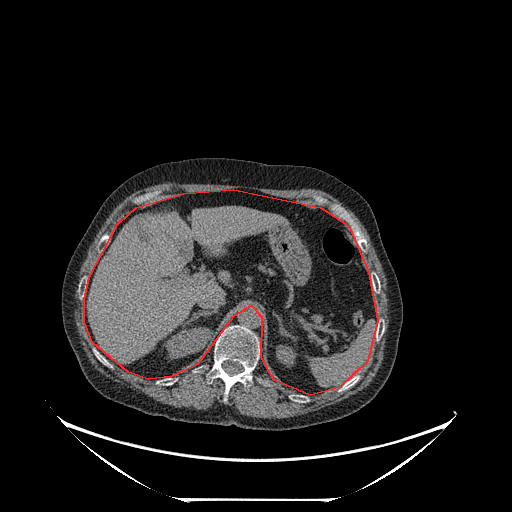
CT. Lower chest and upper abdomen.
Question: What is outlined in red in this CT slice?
Answer: red: abdominal cavity.
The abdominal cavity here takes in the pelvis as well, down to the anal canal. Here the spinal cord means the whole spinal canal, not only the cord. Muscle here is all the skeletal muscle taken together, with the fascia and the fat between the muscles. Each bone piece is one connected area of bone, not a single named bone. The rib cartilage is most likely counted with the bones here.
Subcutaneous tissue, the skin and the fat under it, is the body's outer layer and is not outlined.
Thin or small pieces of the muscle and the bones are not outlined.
{"abdominal_cavity":[[[233,189],[320,207],[348,225],[368,272],[377,320],[367,361],[339,387],[310,395],[274,380],[261,357],[262,317],[251,305],[233,316],[197,364],[172,376],[148,379],[128,372],[92,342],[84,321],[84,299],[89,277],[118,223],[136,207],[183,193]]],"bones":[{"outer":[[231,324],[243,325],[257,334],[261,355],[253,374],[269,381],[271,385],[264,386],[255,380],[249,389],[245,390],[241,382],[236,382],[230,388],[225,403],[223,401],[225,390],[223,380],[218,377],[209,384],[206,374],[213,362],[214,343],[219,333]],"hole":[[225,361],[231,361],[232,362],[237,362],[239,364],[240,364],[242,366],[242,368],[243,369],[240,372],[239,372],[238,373],[236,373],[233,375],[230,375],[229,374],[228,374],[224,370],[224,369],[222,366],[222,364],[223,363],[223,362],[224,362]]},[[314,195],[319,195],[328,199],[333,203],[337,203],[341,205],[351,214],[351,216],[359,226],[363,236],[367,241],[368,244],[367,252],[363,253],[360,248],[358,247],[349,225],[345,221],[334,216],[325,205],[319,205],[316,203],[313,198]],[[155,190],[160,190],[161,192],[158,195],[153,197],[151,199],[147,201],[145,201],[143,203],[141,203],[138,205],[136,205],[132,202],[132,200],[136,196],[138,196],[141,194],[143,194],[147,192],[151,192]],[[85,274],[88,276],[88,282],[87,283],[87,288],[86,289],[86,292],[85,293],[85,296],[84,297],[83,300],[80,300],[79,299],[79,294],[77,291],[77,289],[78,288],[78,283],[79,282],[79,280],[80,279],[80,278],[83,275],[84,275]],[[379,316],[381,316],[383,317],[385,321],[385,324],[386,325],[386,327],[385,328],[385,331],[383,335],[381,337],[380,340],[378,342],[376,342],[375,340],[375,334],[376,333],[376,327],[377,326],[377,321],[378,320],[378,317]],[[372,270],[375,271],[375,272],[377,274],[377,275],[380,280],[380,284],[381,285],[381,290],[380,291],[380,292],[378,294],[376,294],[373,291],[373,290],[372,289],[372,284],[371,283],[371,280],[370,279],[370,276],[369,275],[369,273]],[[105,233],[108,233],[111,236],[111,237],[110,238],[110,241],[109,242],[109,243],[107,245],[107,246],[105,248],[105,249],[100,255],[98,253],[98,252],[96,249],[96,247],[97,246],[97,244],[98,243],[100,238],[102,236],[102,235]],[[356,374],[359,374],[361,377],[360,378],[360,379],[352,387],[351,387],[350,388],[349,388],[348,389],[347,389],[346,390],[345,390],[340,393],[337,391],[337,389],[338,389],[345,382],[346,382],[348,380],[349,380],[353,376],[354,376]],[[292,393],[299,393],[300,394],[305,394],[306,395],[309,395],[309,396],[310,397],[311,400],[309,402],[306,402],[305,403],[300,403],[299,402],[295,402],[294,401],[292,401],[290,399],[289,399],[288,398],[288,395],[289,394],[291,394]],[[164,377],[178,377],[178,380],[175,383],[174,383],[172,385],[171,385],[170,386],[165,386],[164,385],[159,385],[158,384],[156,384],[155,383],[155,380],[156,380],[157,379],[160,379],[161,378],[163,378]],[[94,346],[97,349],[97,350],[110,363],[111,363],[113,365],[113,369],[111,369],[110,368],[109,368],[108,367],[107,367],[106,366],[105,366],[102,363],[101,363],[98,360],[98,359],[94,355],[94,354],[92,351],[92,347],[93,347]]],"spinal_cord":[[[225,361],[231,361],[232,362],[237,362],[239,364],[240,364],[242,366],[242,368],[243,369],[240,372],[239,372],[238,373],[236,373],[233,375],[230,375],[229,374],[228,374],[224,370],[224,369],[222,366],[222,364],[223,363],[223,362],[224,362]]],"mediastinum":[[[245,306],[251,306],[255,308],[255,309],[259,312],[259,314],[261,317],[261,331],[259,333],[257,333],[249,327],[243,324],[233,323],[232,322],[232,320],[234,316],[235,316],[236,314],[237,314],[238,312],[239,312],[240,310],[241,310],[242,308]]],"torso":[[[198,157],[226,157],[314,167],[338,178],[369,203],[398,280],[403,321],[391,373],[376,396],[359,410],[336,420],[287,430],[192,423],[147,414],[110,400],[95,390],[83,375],[64,332],[60,303],[63,277],[73,251],[103,201],[123,181],[160,163]]],"muscle":[{"outer":[[165,182],[246,185],[247,186],[256,186],[257,187],[270,188],[271,189],[312,188],[313,189],[318,189],[330,194],[335,198],[338,199],[346,207],[353,211],[358,217],[369,235],[372,245],[375,249],[378,259],[380,261],[382,268],[384,271],[387,285],[388,286],[388,310],[389,311],[388,315],[389,316],[389,323],[387,329],[386,342],[384,347],[384,354],[381,365],[370,383],[363,389],[354,394],[352,394],[347,398],[345,398],[339,402],[325,406],[320,409],[311,411],[305,414],[296,415],[286,418],[261,418],[260,417],[253,417],[252,416],[247,416],[240,414],[232,410],[225,404],[214,405],[205,410],[202,409],[186,409],[183,407],[175,407],[157,401],[142,392],[138,392],[129,387],[127,387],[124,385],[121,385],[118,382],[113,381],[96,370],[89,361],[83,349],[83,346],[80,342],[79,335],[77,331],[77,327],[75,323],[75,319],[74,318],[74,294],[76,290],[77,275],[79,272],[80,267],[87,255],[87,251],[89,248],[89,246],[112,210],[120,202],[133,192],[152,185],[164,183]],"holes":[[[233,189],[258,191],[326,210],[313,198],[319,195],[345,208],[359,226],[368,244],[367,252],[361,256],[362,263],[369,273],[375,271],[380,280],[381,290],[373,295],[377,316],[383,317],[386,327],[352,387],[340,393],[332,388],[310,395],[309,402],[295,402],[288,395],[296,392],[274,380],[261,357],[253,374],[271,385],[264,386],[255,380],[245,390],[241,382],[236,382],[225,403],[223,380],[218,377],[207,383],[213,345],[197,364],[173,375],[178,380],[170,386],[156,384],[154,379],[115,365],[111,369],[94,355],[94,344],[84,321],[84,301],[79,299],[77,289],[80,278],[90,276],[100,256],[96,247],[102,235],[111,236],[118,223],[136,207],[183,193]],[[155,190],[160,190],[161,192],[158,195],[153,197],[151,199],[147,201],[145,201],[143,203],[141,203],[138,205],[136,205],[132,202],[132,200],[136,196],[138,196],[141,194],[143,194],[147,192],[151,192]],[[202,364],[205,364],[206,365],[207,365],[207,366],[205,368],[202,369],[201,370],[201,371],[200,371],[199,372],[197,372],[196,373],[193,373],[192,372],[191,372],[191,371],[192,370],[193,370],[194,369],[196,369],[197,368],[197,367],[198,367]]]}]}